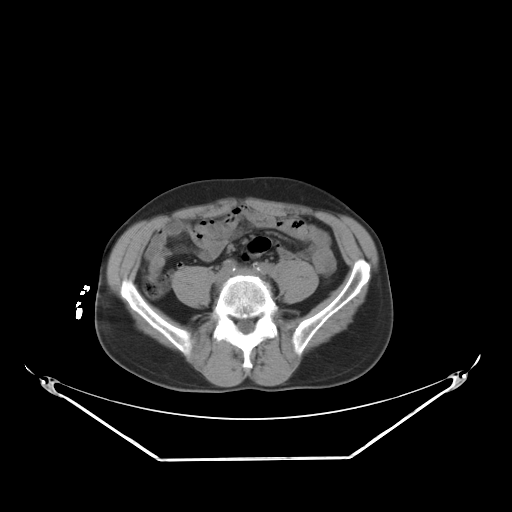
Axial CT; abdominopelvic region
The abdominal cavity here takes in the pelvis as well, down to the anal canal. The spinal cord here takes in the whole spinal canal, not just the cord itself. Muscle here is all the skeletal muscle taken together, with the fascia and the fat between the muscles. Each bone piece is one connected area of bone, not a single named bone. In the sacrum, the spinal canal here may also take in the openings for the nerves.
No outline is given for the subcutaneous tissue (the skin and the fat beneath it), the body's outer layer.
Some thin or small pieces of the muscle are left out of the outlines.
The bones appear in 3 outlined pieces: piece 1: (237, 274) (255, 275) (267, 282) (271, 288) (272, 298) (278, 306) (277, 314) (273, 319) (278, 334) (275, 337) (263, 340) (251, 350) (251, 368) (242, 366) (243, 352) (240, 348) (225, 340) (217, 341) (212, 337) (216, 322) (211, 319) (211, 313) (219, 291) (228, 278); inner edge: (240, 319) (253, 319) (254, 320) (254, 324) (253, 325) (253, 328) (252, 329) (252, 330) (251, 331) (250, 331) (248, 333) (244, 333) (243, 332) (242, 332) (239, 329) (239, 328) (237, 326) (237, 324) (236, 323) (236, 321) (237, 320) (239, 320); piece 2: (360, 258) (363, 258) (366, 260) (370, 266) (370, 277) (368, 281) (361, 288) (359, 293) (331, 315) (324, 322) (309, 340) (302, 353) (300, 355) (298, 355) (294, 351) (292, 343) (292, 335) (295, 328) (302, 320) (314, 315) (323, 309) (337, 296) (345, 285) (355, 261); piece 3: (124, 278) (128, 278) (133, 282) (143, 298) (156, 313) (169, 323) (177, 327) (183, 328) (190, 333) (190, 338) (192, 341) (192, 348) (188, 355) (185, 355) (180, 351) (166, 337) (159, 331) (152, 327) (138, 313) (130, 307) (128, 302) (120, 294) (120, 285). The torso is outlined by (254, 175) (283, 175) (308, 181) (343, 201) (376, 232) (385, 252) (394, 308) (391, 337) (381, 358) (366, 373) (339, 386) (271, 392) (253, 389) (221, 393) (177, 391) (153, 384) (120, 367) (103, 351) (94, 329) (100, 258) (111, 235) (143, 204) (175, 185) (201, 178). The abdominal cavity is outlined by (237, 205) (245, 205) (269, 216) (311, 216) (331, 228) (348, 269) (340, 284) (327, 297) (301, 315) (296, 309) (279, 307) (271, 285) (258, 275) (237, 273) (222, 283) (210, 310) (181, 322) (143, 296) (136, 280) (137, 271) (157, 230) (174, 221) (221, 217), around a hole outlined by (290, 260) (301, 260) (311, 266) (317, 275) (318, 283) (314, 291) (307, 297) (297, 302) (294, 302) (293, 303) (286, 303) (284, 302) (280, 297) (279, 287) (276, 281) (274, 279) (274, 277) (272, 275) (272, 268) (274, 264) (276, 264) (282, 261) (285, 262). The spinal cord is outlined by (240, 319) (253, 319) (254, 320) (254, 324) (253, 325) (253, 328) (252, 329) (252, 330) (251, 331) (250, 331) (248, 333) (244, 333) (243, 332) (242, 332) (239, 329) (239, 328) (237, 326) (237, 324) (236, 323) (236, 321) (237, 320) (239, 320). The muscle appears in 3 outlined pieces: piece 1: (226, 197) (253, 197) (254, 198) (259, 198) (265, 200) (272, 200) (273, 201) (279, 201) (280, 202) (287, 202) (288, 203) (301, 204) (302, 205) (311, 206) (312, 207) (315, 207) (316, 208) (319, 208) (332, 212) (344, 214) (351, 217) (357, 221) (368, 232) (372, 238) (377, 250) (377, 253) (378, 254) (378, 269) (371, 281) (368, 290) (367, 297) (365, 299) (359, 312) (352, 322) (350, 323) (346, 329) (340, 332) (329, 341) (312, 351) (298, 366) (291, 376) (287, 380) (283, 383) (277, 385) (261, 385) (256, 383) (248, 377) (244, 379) (240, 383) (232, 386) (218, 386) (208, 381) (194, 369) (177, 352) (164, 346) (155, 339) (136, 329) (134, 326) (134, 323) (131, 319) (129, 314) (119, 301) (117, 297) (112, 293) (109, 288) (107, 282) (107, 275) (106, 274) (107, 272) (107, 263) (111, 250) (119, 237) (134, 223) (137, 221) (145, 219) (148, 217) (160, 213) (163, 213) (164, 212) (167, 212) (168, 211) (171, 211) (172, 210) (175, 210) (188, 206) (192, 206) (193, 205) (196, 205) (197, 204) (200, 204) (213, 200) (217, 200); inner edges: (237, 205) (316, 218) (331, 228) (348, 267) (306, 313) (278, 308) (278, 334) (251, 350) (251, 368) (242, 366) (240, 348) (212, 337) (217, 293) (210, 310) (186, 322) (144, 299) (190, 333) (188, 355) (120, 294) (124, 278) (138, 287) (141, 258) (157, 230) (221, 217), then (360, 258) (363, 258) (366, 260) (370, 266) (370, 277) (368, 281) (361, 288) (359, 293) (331, 315) (324, 322) (309, 340) (302, 353) (300, 355) (298, 355) (294, 351) (292, 343) (292, 335) (295, 328) (302, 320) (314, 315) (323, 309) (337, 296) (345, 285) (355, 261); piece 2: (290, 260) (301, 260) (311, 266) (317, 275) (318, 283) (314, 291) (307, 297) (297, 302) (294, 302) (293, 303) (286, 303) (284, 302) (280, 297) (279, 287) (276, 281) (274, 279) (274, 277) (272, 275) (272, 268) (274, 264) (276, 264) (282, 261) (285, 262); piece 3: (187, 266) (203, 266) (204, 267) (207, 267) (210, 268) (211, 271) (213, 273) (215, 280) (213, 282) (210, 289) (210, 297) (211, 300) (209, 303) (209, 305) (207, 307) (196, 308) (185, 304) (177, 297) (172, 287) (172, 280) (174, 277) (174, 274) (178, 270).